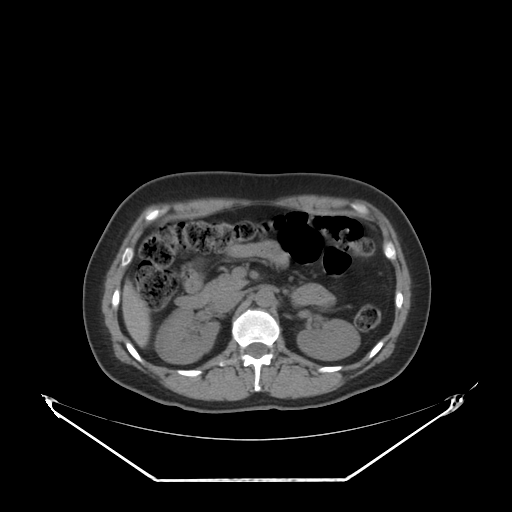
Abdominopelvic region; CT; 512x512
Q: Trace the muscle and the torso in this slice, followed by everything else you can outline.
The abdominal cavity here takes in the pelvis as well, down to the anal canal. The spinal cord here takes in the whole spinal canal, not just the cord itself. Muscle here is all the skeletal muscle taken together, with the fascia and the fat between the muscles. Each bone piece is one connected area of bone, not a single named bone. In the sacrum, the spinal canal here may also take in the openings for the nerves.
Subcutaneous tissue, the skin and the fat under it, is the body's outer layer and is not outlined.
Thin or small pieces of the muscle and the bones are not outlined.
A: muscle: 300,194 365,200 385,215 396,232 411,279 411,295 406,320 392,353 386,359 338,388 319,395 285,399 260,391 261,369 264,365 268,366 274,358 273,347 280,334 290,351 320,365 318,372 336,372 341,370 343,365 356,362 366,354 367,358 371,359 382,348 382,338 392,326 395,308 400,309 404,301 402,292 396,290 396,273 392,262 397,257 395,246 390,240 384,242 382,232 375,222 355,214 324,213 271,204 246,205 201,216 170,217 146,225 133,248 127,246 120,256 119,265 126,267 119,288 114,289 110,299 111,306 117,309 119,327 128,340 124,344 125,347 139,363 143,364 144,359 158,366 176,369 179,375 196,377 203,373 196,368 221,353 232,338 239,347 238,358 242,365 253,368 255,392 233,401 190,398 168,389 155,378 120,361 114,355 111,336 101,309 104,281 128,230 146,206 157,202 205,197 275,199; inner edges: 151,209 163,209 164,210 164,211 161,214 160,214 158,216 156,216 155,217 154,217 153,218 151,218 150,219 149,219 148,220 146,220 145,219 145,214 146,213 146,212 148,210 150,210, then 351,203 358,203 359,204 362,204 363,205 364,205 368,209 368,213 367,213 366,214 361,214 360,213 359,213 357,211 356,211 352,207 351,207 351,206 350,205 350,204, then 228,359 234,359 235,360 233,362 231,362 230,363 228,363 227,364 226,364 225,365 224,365 223,366 220,366 218,364 218,363 220,361 221,361 222,360 227,360
torso: 193,170 333,173 359,179 389,195 412,224 424,250 431,276 431,302 426,328 416,353 404,370 385,384 324,406 227,413 204,413 162,404 109,378 93,356 83,323 82,286 89,258 111,215 129,193 152,178
abdominal cavity: 253,205 355,215 375,223 383,238 383,253 395,273 389,330 358,360 321,365 286,346 279,323 268,311 250,307 231,322 225,348 195,368 172,368 142,357 120,327 118,306 121,281 143,229 165,219 201,217
spinal cord: 252,343 262,343 263,344 264,344 267,347 267,348 268,349 267,352 266,353 263,354 261,356 260,356 257,358 256,357 254,357 253,356 252,356 251,355 248,354 246,352 246,348 250,344 251,344
bones 1: 250,308 265,310 275,319 280,328 280,333 272,347 274,356 268,365 264,364 260,369 259,385 261,388 257,392 254,390 254,368 252,365 243,365 239,358 240,347 232,337 231,331 232,322 234,319 242,312, around a hole outlined by 252,343 262,343 263,344 264,344 267,347 267,348 268,349 267,352 266,353 263,354 261,356 260,356 257,358 256,357 254,357 253,356 252,356 251,355 248,354 246,352 246,348 250,344 251,344
bones 2: 127,247 131,247 133,249 133,256 132,257 132,259 131,260 131,261 127,265 126,265 125,266 121,266 120,265 120,262 121,261 121,256 122,255 122,254 123,253 123,252 124,251 124,250
bones 3: 388,241 390,241 393,244 393,245 394,246 394,248 395,249 395,251 396,252 396,257 395,258 395,259 394,259 393,260 388,258 385,255 385,254 384,253 384,248 383,247 383,246 384,245 384,243 385,243
bones 4: 127,341 129,341 132,344 132,345 135,348 135,349 138,352 138,353 141,356 141,357 143,359 143,363 141,363 140,362 139,362 133,356 132,356 131,355 131,354 128,351 128,350 126,347 126,345 125,344
bones 5: 178,369 184,369 185,370 187,370 188,369 198,369 199,370 201,370 202,371 202,373 201,374 200,374 199,375 197,375 196,376 187,376 186,375 182,375 181,374 179,374 176,371
bones 6: 151,209 163,209 164,210 164,211 161,214 160,214 158,216 156,216 155,217 154,217 153,218 151,218 150,219 149,219 148,220 146,220 145,219 145,214 146,213 146,212 148,210 150,210
bones 7: 336,365 341,365 342,366 342,368 341,369 340,369 339,370 337,370 336,371 332,371 331,372 320,372 319,371 318,371 318,368 319,368 321,366 335,366
bones 8: 351,203 358,203 359,204 362,204 363,205 364,205 368,209 368,213 367,213 366,214 361,214 360,213 359,213 357,211 356,211 352,207 351,207 351,206 350,205 350,204
bones 9: 381,339 383,341 383,345 381,347 381,348 371,358 368,358 368,354 369,353 369,352 370,351 370,350 377,343 377,342 378,341 379,341